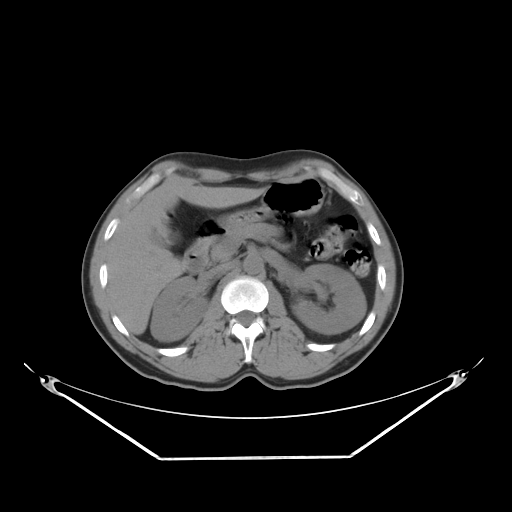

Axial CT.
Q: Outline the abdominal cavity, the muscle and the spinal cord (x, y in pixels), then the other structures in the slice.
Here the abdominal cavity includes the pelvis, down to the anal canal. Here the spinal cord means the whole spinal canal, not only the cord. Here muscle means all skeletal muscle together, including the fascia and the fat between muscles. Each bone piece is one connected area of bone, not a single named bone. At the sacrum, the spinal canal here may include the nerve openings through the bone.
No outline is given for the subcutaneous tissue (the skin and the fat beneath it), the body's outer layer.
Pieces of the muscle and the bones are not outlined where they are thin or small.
A: {"abdominal_cavity":[[[169,174],[192,182],[315,178],[351,202],[365,223],[376,262],[373,301],[360,328],[337,342],[312,341],[288,315],[281,293],[271,282],[266,285],[256,276],[239,274],[216,287],[202,321],[179,345],[157,347],[130,333],[108,295],[108,246],[120,219]]],"muscle":[[[303,158],[330,163],[363,192],[392,249],[396,269],[393,298],[381,326],[365,347],[325,372],[302,379],[268,376],[247,364],[253,361],[256,338],[267,329],[262,313],[269,302],[268,283],[280,293],[287,315],[311,341],[305,344],[310,351],[331,350],[358,331],[362,336],[375,321],[376,313],[371,309],[376,281],[383,291],[387,275],[385,267],[377,264],[371,239],[378,246],[382,241],[376,227],[365,222],[353,205],[364,204],[361,193],[324,166],[315,172],[336,189],[315,177],[192,181],[171,173],[175,168],[171,166],[163,172],[167,175],[152,172],[136,186],[126,199],[137,199],[135,203],[120,218],[112,218],[103,232],[103,240],[109,243],[106,262],[98,269],[98,281],[102,289],[107,289],[115,328],[126,337],[131,334],[156,347],[163,356],[180,356],[189,350],[187,345],[180,345],[203,321],[208,304],[222,283],[219,300],[229,315],[226,334],[240,341],[244,354],[245,364],[236,372],[215,382],[186,380],[143,361],[111,336],[94,304],[89,268],[104,220],[132,184],[165,160],[248,172]]],"spinal_cord":[[[244,310],[247,310],[248,311],[253,312],[255,313],[256,315],[254,320],[249,325],[247,326],[244,326],[242,324],[241,324],[237,320],[235,316],[236,314]]],"bones":[{"outer":[[239,275],[256,277],[264,283],[269,294],[268,302],[261,313],[266,329],[263,333],[258,335],[253,342],[251,351],[252,361],[250,363],[245,363],[243,361],[245,354],[241,341],[234,335],[227,334],[230,315],[224,309],[220,300],[223,286],[229,280]],"hole":[[244,310],[247,310],[248,311],[253,312],[255,313],[256,315],[254,320],[249,325],[247,326],[244,326],[242,324],[241,324],[237,320],[235,316],[236,314]]},[[319,167],[324,167],[330,170],[342,181],[343,181],[350,187],[353,189],[357,190],[360,193],[362,197],[363,204],[362,205],[359,205],[358,204],[353,203],[343,195],[342,195],[338,191],[333,183],[330,181],[327,181],[321,177],[316,172],[316,170]],[[156,172],[159,172],[161,173],[162,175],[162,177],[161,179],[159,180],[159,181],[158,181],[149,189],[148,189],[140,197],[138,198],[132,198],[131,199],[129,199],[127,200],[127,199],[131,195],[132,192],[136,187],[140,185],[152,173],[155,173]],[[178,346],[187,346],[188,347],[188,350],[187,350],[184,353],[183,353],[180,355],[178,355],[177,356],[167,356],[166,355],[163,355],[162,354],[161,354],[160,353],[159,353],[156,350],[156,349],[157,348],[171,348],[172,347],[177,347]],[[378,264],[381,264],[384,267],[384,269],[385,270],[385,274],[386,275],[386,285],[385,286],[385,288],[383,290],[382,290],[380,288],[380,287],[379,286],[379,284],[378,283],[378,282],[377,281],[377,278],[376,277],[376,273],[377,272],[377,265]],[[312,342],[315,342],[316,343],[319,343],[320,344],[327,344],[328,343],[335,343],[335,345],[331,349],[329,349],[325,351],[314,351],[313,350],[310,350],[308,348],[307,348],[306,346],[306,344],[308,343],[311,343]],[[370,311],[373,311],[375,313],[375,318],[374,319],[374,321],[373,322],[372,325],[370,327],[370,328],[366,332],[365,332],[362,335],[359,335],[358,334],[358,333],[359,332],[359,330],[361,328],[361,327],[362,326],[366,317],[368,315],[368,314]],[[114,218],[118,218],[119,219],[119,223],[117,225],[117,227],[115,229],[115,230],[114,231],[114,232],[112,234],[111,237],[108,240],[104,240],[104,239],[103,238],[103,236],[104,235],[104,232],[105,231],[108,224],[111,221],[111,220]],[[367,222],[370,222],[375,227],[375,228],[379,235],[379,237],[380,238],[380,240],[381,241],[381,244],[380,245],[378,245],[376,243],[375,243],[375,242],[374,241],[373,241],[373,240],[370,237],[370,236],[368,233],[367,228],[366,227],[366,223]],[[103,263],[105,263],[106,264],[106,266],[107,267],[107,283],[106,284],[106,285],[105,286],[105,287],[104,288],[102,288],[101,287],[101,286],[100,285],[100,282],[99,281],[99,269],[100,268],[100,266]],[[113,314],[115,314],[119,318],[119,319],[121,321],[121,322],[123,324],[123,325],[125,327],[125,328],[129,333],[129,336],[126,336],[124,334],[123,334],[121,332],[120,332],[116,328],[116,327],[115,326],[115,325],[112,320],[112,315]]],"torso":[[[297,148],[325,153],[342,165],[369,192],[395,235],[403,260],[403,292],[396,317],[380,343],[350,372],[311,388],[274,390],[248,376],[223,391],[198,391],[160,383],[126,365],[93,327],[81,292],[85,246],[110,200],[150,161],[168,152],[254,157]]]}